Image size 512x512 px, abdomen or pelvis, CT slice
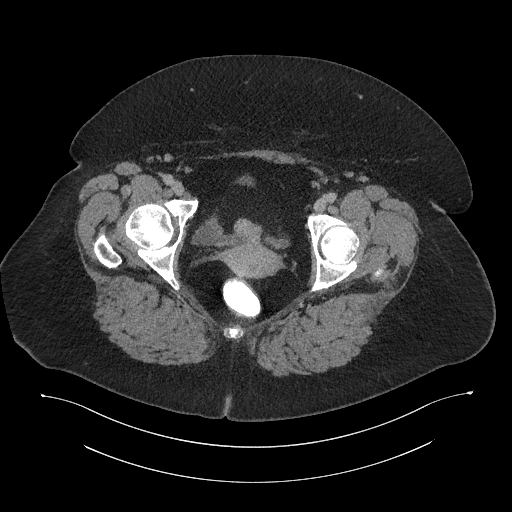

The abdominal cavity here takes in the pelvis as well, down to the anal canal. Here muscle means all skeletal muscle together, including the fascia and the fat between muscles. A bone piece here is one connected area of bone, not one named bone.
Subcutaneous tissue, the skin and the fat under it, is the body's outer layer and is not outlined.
The abdominal cavity is outlined by 232,157 255,157 276,164 301,164 308,171 311,190 307,204 310,213 305,221 310,237 310,270 306,287 282,309 245,325 229,325 212,317 181,279 179,266 190,219 199,206 199,200 187,191 185,179 200,162. The muscle is outlined by 252,148 300,153 329,165 348,186 375,183 404,196 420,228 419,254 405,287 383,310 359,355 326,372 274,376 245,346 230,341 195,364 129,357 92,317 94,283 73,234 80,188 113,162 168,170 184,158, around holes outlined by 232,157 303,165 308,212 347,222 360,239 356,268 313,292 311,247 306,287 282,309 241,325 244,333 235,338 223,335 229,325 181,279 189,218 173,258 178,290 124,234 135,208 193,199 185,179 194,166 and by 102,232 106,235 112,247 121,256 121,258 122,259 122,261 121,263 119,265 118,265 114,268 108,268 104,265 103,265 97,259 97,258 95,256 93,252 93,243 96,239 96,238 98,236 98,235 and by 382,266 385,266 385,271 379,277 378,277 377,278 373,278 372,277 372,274 373,273 373,272 375,270 376,270 378,268 379,268 380,267 381,267. The torso is outlined by 223,54 309,56 351,66 407,95 443,128 465,161 473,191 464,212 448,215 479,258 495,303 492,335 476,355 346,407 243,422 130,399 46,368 16,343 0,262 52,185 76,165 69,147 79,128 145,76. The bones appear in 5 outlined pieces: piece 1: 173,198 186,200 195,198 198,200 197,209 193,216 186,221 183,228 182,239 177,245 174,252 173,273 180,284 178,290 175,290 138,255 136,245 124,234 124,224 130,213 135,208 145,203 162,204 164,201; piece 2: 313,213 314,214 326,213 347,222 358,235 360,239 360,246 359,247 359,255 358,256 357,266 349,275 327,288 323,288 311,292 309,289 315,280 316,258 312,252 310,231 306,226 306,221 307,220 307,215; piece 3: 102,232 106,235 112,247 121,256 121,258 122,259 122,261 121,263 119,265 118,265 114,268 108,268 104,265 103,265 97,259 97,258 95,256 93,252 93,243 96,239 96,238 98,236 98,235; piece 4: 229,326 240,326 243,329 243,330 244,331 244,333 243,334 243,335 242,336 241,336 240,337 236,337 235,338 229,338 228,337 226,337 225,336 224,336 223,335 223,329 225,327 228,327; piece 5: 382,266 385,266 385,271 379,277 378,277 377,278 373,278 372,277 372,274 373,273 373,272 375,270 376,270 378,268 379,268 380,267 381,267.